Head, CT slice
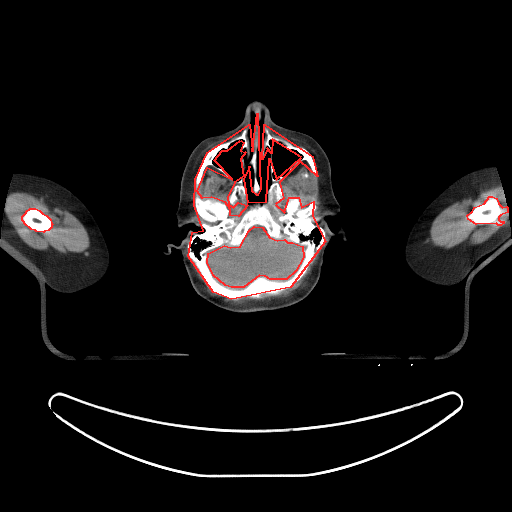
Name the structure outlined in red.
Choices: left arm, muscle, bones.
red: bones.
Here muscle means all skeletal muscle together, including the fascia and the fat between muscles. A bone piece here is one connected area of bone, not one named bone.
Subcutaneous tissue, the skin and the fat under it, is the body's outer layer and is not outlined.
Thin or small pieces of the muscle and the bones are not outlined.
The bones appear in 3 outlined pieces: piece 1: (257, 113) (260, 189) (257, 195) (252, 191) (249, 166) (243, 179) (247, 202) (266, 201) (269, 158) (276, 179) (301, 157) (272, 139) (271, 153) (267, 148) (262, 159) (264, 124) (312, 156) (317, 176) (300, 161) (279, 182) (283, 198) (275, 204) (284, 212) (289, 197) (298, 197) (301, 207) (313, 201) (312, 216) (325, 241) (290, 287) (231, 299) (213, 292) (188, 256) (192, 232) (203, 230) (194, 205) (195, 179) (207, 152) (249, 124) (252, 151) with holes at (254, 226) (262, 227) (269, 237) (277, 240) (284, 239) (287, 242) (292, 242) (302, 246) (303, 257) (295, 271) (286, 279) (270, 279) (265, 276) (259, 275) (243, 287) (231, 287) (225, 285) (213, 275) (207, 262) (208, 253) (224, 245) (230, 247) (240, 246) (249, 230) and at (240, 140) (243, 142) (240, 150) (245, 152) (240, 159) (243, 176) (234, 182) (227, 197) (228, 204) (233, 207) (238, 202) (247, 205) (238, 216) (230, 215) (230, 209) (225, 202) (211, 197) (202, 198) (197, 191) (207, 167) (232, 179) (214, 160) (222, 150) (227, 150); piece 2: (489, 196) (492, 196) (496, 198) (498, 203) (502, 207) (506, 206) (507, 207) (507, 212) (500, 215) (498, 217) (498, 219) (500, 221) (503, 221) (503, 223) (500, 225) (498, 225) (496, 223) (476, 224) (468, 219) (467, 215) (472, 211) (474, 207) (484, 203); piece 3: (30, 208) (35, 208) (39, 210) (42, 213) (46, 215) (50, 219) (51, 223) (52, 224) (51, 225) (51, 227) (48, 230) (44, 231) (43, 232) (36, 231) (35, 230) (31, 229) (24, 223) (24, 222) (22, 220) (22, 216) (26, 212) (26, 211). The muscle appears in 6 outlined pieces: piece 1: (17, 191) (27, 192) (37, 197) (42, 196) (51, 206) (57, 206) (72, 213) (83, 224) (88, 233) (90, 239) (90, 246) (88, 249) (89, 255) (65, 255) (49, 251) (41, 251) (31, 248) (23, 242) (14, 231) (14, 228) (9, 222) (6, 213) (8, 197) (11, 193), around a hole outlined by (30, 208) (35, 208) (39, 210) (42, 213) (46, 215) (50, 219) (51, 223) (52, 224) (51, 225) (51, 227) (48, 230) (44, 231) (43, 232) (36, 231) (35, 230) (31, 229) (24, 223) (24, 222) (22, 220) (22, 216) (26, 212) (26, 211); piece 2: (495, 185) (503, 192) (505, 206) (502, 206) (496, 197) (489, 195) (466, 215) (466, 218) (476, 225) (500, 226) (504, 221) (499, 217) (506, 214) (505, 225) (493, 235) (479, 244) (461, 243) (449, 249) (425, 242) (433, 220) (443, 209) (463, 198) (475, 196) (481, 189); piece 3: (270, 130) (276, 135) (285, 136) (287, 138) (293, 137) (306, 142) (315, 150) (323, 176) (323, 190) (325, 198) (325, 204) (317, 216) (313, 216) (317, 208) (316, 203) (313, 200) (310, 200) (306, 205) (301, 206) (302, 202) (300, 198) (296, 195) (289, 196) (287, 198) (286, 203) (282, 207) (284, 211) (282, 211) (276, 204) (284, 198) (284, 192) (280, 182) (300, 162) (305, 161) (315, 177) (318, 176) (318, 172) (313, 156) (305, 147) (272, 134); piece 4: (207, 167) (213, 168) (226, 178) (234, 182) (231, 191) (227, 197) (227, 202) (229, 205) (233, 207) (238, 202) (244, 205) (247, 205) (247, 208) (240, 216) (230, 215) (230, 209) (225, 202) (211, 197) (202, 198) (199, 196) (197, 193) (198, 187) (202, 181) (204, 172); piece 5: (318, 253) (319, 253) (316, 260) (316, 263) (309, 276) (307, 284) (303, 288) (296, 291) (292, 295) (286, 298) (273, 299) (270, 301) (257, 301) (244, 304) (234, 304) (226, 302) (219, 297) (212, 296) (206, 292) (201, 286) (200, 281) (196, 276) (190, 261) (190, 260) (193, 263) (198, 270) (205, 285) (213, 293) (218, 296) (231, 300) (236, 300) (241, 297) (249, 297) (253, 299) (259, 299) (263, 294) (276, 295) (294, 285) (306, 274) (310, 264); piece 6: (220, 140) (223, 140) (224, 141) (223, 142) (213, 145) (206, 152) (200, 162) (194, 179) (195, 193) (193, 197) (193, 205) (195, 212) (201, 219) (201, 221) (197, 223) (190, 217) (190, 214) (187, 208) (188, 192) (190, 189) (192, 171) (196, 159) (200, 153) (209, 144). The brain is outlined by (254, 226) (262, 227) (269, 237) (277, 240) (284, 239) (287, 242) (292, 242) (302, 246) (303, 257) (295, 271) (286, 279) (270, 279) (265, 276) (259, 275) (243, 287) (231, 287) (225, 285) (213, 275) (207, 262) (208, 253) (224, 245) (230, 247) (240, 246) (249, 230). The left arm is outlined by (490, 165) (495, 166) (501, 182) (503, 195) (507, 207) (511, 234) (495, 251) (489, 251) (485, 253) (474, 262) (466, 271) (462, 280) (457, 284) (448, 287) (441, 287) (425, 281) (416, 275) (409, 268) (404, 257) (404, 247) (412, 226) (426, 206) (451, 183) (472, 170). The right arm is outlined by (16, 172) (36, 174) (54, 180) (69, 189) (87, 207) (95, 219) (105, 239) (109, 251) (109, 266) (106, 273) (99, 281) (89, 287) (73, 293) (62, 293) (56, 291) (51, 287) (40, 271) (33, 264) (0, 236) (2, 228) (3, 213) (6, 203) (6, 196) (12, 176). The head is outlined by (253, 100) (267, 105) (276, 124) (306, 133) (322, 147) (340, 205) (325, 220) (334, 232) (342, 226) (349, 238) (331, 238) (319, 279) (302, 303) (238, 315) (213, 307) (194, 290) (179, 249) (163, 252) (189, 230) (203, 230) (177, 225) (190, 153) (203, 139) (236, 127), around holes outlined by (261, 119) (264, 137) (259, 153) (262, 160) (266, 159) (267, 149) (272, 153) (272, 140) (300, 157) (276, 178) (273, 176) (273, 159) (269, 157) (270, 182) (266, 199) (249, 203) (244, 181) (248, 168) (252, 172) (253, 195) (257, 196) (261, 189) (257, 175) and by (240, 140) (243, 142) (240, 148) (240, 150) (242, 153) (243, 151) (245, 152) (245, 154) (242, 156) (240, 159) (241, 162) (241, 169) (243, 172) (243, 176) (235, 181) (230, 177) (223, 168) (216, 165) (214, 163) (214, 160) (222, 150) (227, 150) (233, 143) (237, 142) and by (252, 114) (254, 114) (255, 115) (255, 119) (254, 120) (254, 125) (253, 126) (253, 131) (252, 132) (252, 149) (251, 150) (251, 151) (251, 145) (250, 144) (250, 139) (248, 136) (248, 131) (249, 130) (249, 126) (250, 125) (250, 122) (251, 121) (251, 115).